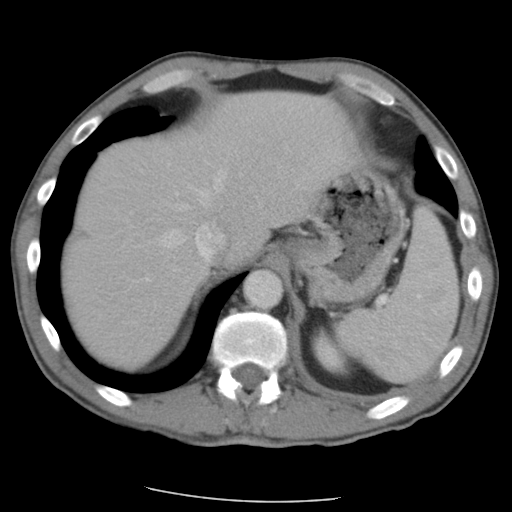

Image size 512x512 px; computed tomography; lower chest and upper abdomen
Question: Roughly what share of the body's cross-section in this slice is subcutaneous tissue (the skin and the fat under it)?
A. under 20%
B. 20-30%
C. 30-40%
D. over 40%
Answer: A. under 20%
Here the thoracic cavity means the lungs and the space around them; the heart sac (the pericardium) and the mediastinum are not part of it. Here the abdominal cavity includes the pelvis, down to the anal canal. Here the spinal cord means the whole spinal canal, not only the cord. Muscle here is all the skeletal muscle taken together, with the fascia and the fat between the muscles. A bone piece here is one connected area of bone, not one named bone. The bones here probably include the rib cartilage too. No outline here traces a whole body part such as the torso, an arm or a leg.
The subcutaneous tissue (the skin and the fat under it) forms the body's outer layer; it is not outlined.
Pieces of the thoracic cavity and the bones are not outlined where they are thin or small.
{"thoracic_cavity":[[[136,107],[171,120],[102,147],[83,175],[57,270],[61,306],[73,337],[103,368],[132,377],[155,375],[186,351],[208,296],[246,273],[219,311],[201,367],[180,385],[153,392],[126,392],[84,373],[62,346],[37,293],[42,214],[63,160],[105,118]],[[423,135],[425,136],[436,161],[449,179],[453,187],[456,195],[458,206],[458,214],[456,217],[448,211],[445,207],[438,203],[437,201],[423,193],[420,193],[416,189],[415,185],[416,170],[414,167],[414,156],[416,151],[417,139],[418,137],[421,137]],[[304,378],[313,384],[316,388],[319,388],[320,390],[323,390],[324,392],[327,392],[330,394],[335,394],[338,396],[347,396],[350,398],[355,398],[357,400],[364,400],[365,401],[366,400],[382,400],[371,402],[347,403],[319,393],[310,387],[306,383]]],"muscle":[{"outer":[[185,56],[202,57],[203,58],[222,60],[223,61],[231,61],[232,62],[251,62],[252,63],[271,63],[272,64],[287,63],[288,62],[300,62],[301,61],[316,61],[317,62],[319,61],[342,61],[343,62],[350,62],[355,64],[359,64],[381,74],[395,84],[429,118],[444,136],[459,159],[469,180],[477,201],[479,215],[483,227],[488,254],[493,269],[493,286],[482,335],[473,359],[461,378],[439,401],[406,418],[390,422],[371,429],[358,431],[354,433],[336,437],[288,439],[283,437],[270,437],[263,435],[261,436],[249,435],[248,436],[247,435],[241,435],[239,433],[231,433],[230,432],[221,435],[208,434],[203,432],[198,435],[188,435],[187,434],[177,433],[155,426],[149,426],[148,425],[133,423],[102,409],[80,395],[69,386],[63,383],[45,363],[34,343],[24,316],[21,303],[20,289],[19,288],[19,278],[18,277],[18,271],[15,257],[16,235],[18,231],[21,216],[29,195],[37,181],[42,168],[46,163],[52,151],[69,130],[86,113],[117,89],[153,66],[172,58],[184,57]],"hole":[[184,68],[193,72],[185,83],[187,86],[271,69],[317,83],[339,82],[338,74],[352,73],[390,93],[395,104],[389,107],[411,120],[431,148],[434,144],[439,145],[454,159],[458,175],[449,180],[457,205],[471,214],[476,226],[472,238],[460,233],[461,261],[466,280],[472,267],[478,268],[482,288],[476,301],[465,288],[453,344],[463,348],[456,364],[443,377],[439,376],[438,367],[419,385],[398,393],[409,398],[401,409],[379,419],[368,418],[367,410],[378,401],[347,403],[319,393],[306,383],[289,355],[286,364],[278,370],[282,393],[268,404],[257,403],[258,393],[245,404],[218,392],[218,365],[207,357],[201,367],[180,385],[162,391],[127,392],[132,403],[118,406],[97,392],[95,387],[100,383],[84,373],[62,346],[56,351],[50,344],[40,322],[43,312],[37,293],[37,273],[29,271],[26,259],[30,241],[40,237],[44,207],[37,201],[38,189],[49,178],[58,177],[63,160],[74,147],[71,138],[84,121],[97,114],[106,118],[130,100],[149,95],[142,89],[144,84],[162,74]]}],"spinal_cord":[[[248,362],[250,363],[253,363],[256,365],[258,365],[267,371],[267,376],[266,378],[264,379],[255,389],[253,389],[252,390],[250,389],[245,389],[244,388],[243,384],[237,380],[232,374],[232,370],[235,367],[239,365],[241,365],[244,363],[247,363]]],"mediastinum":[[[260,267],[272,268],[279,272],[285,281],[287,293],[289,296],[289,304],[291,306],[291,313],[287,318],[287,329],[286,330],[282,322],[275,316],[267,312],[257,310],[235,311],[227,314],[217,323],[221,309],[246,276],[246,274],[253,270],[254,268]],[[371,98],[377,103],[383,106],[389,107],[407,117],[423,133],[421,136],[418,136],[416,139],[415,151],[413,156],[413,164],[411,166],[405,162],[400,161],[397,159],[394,159],[388,156],[375,143],[367,123],[367,107],[369,100]],[[180,84],[185,84],[191,88],[193,90],[195,97],[193,103],[188,109],[184,112],[175,116],[170,116],[169,115],[161,116],[155,110],[144,106],[136,106],[116,111],[118,108],[130,100],[133,100],[140,96],[156,94],[161,92],[164,88],[168,90]]],"abdominal_cavity":[[[271,69],[369,97],[376,146],[413,165],[415,189],[458,218],[466,284],[457,335],[419,385],[365,400],[316,387],[294,361],[286,281],[267,266],[216,287],[185,351],[155,374],[103,367],[74,337],[60,252],[96,153],[167,126],[194,103],[189,86]]],"bones":[{"outer":[[244,311],[264,312],[275,317],[281,322],[287,333],[288,359],[286,364],[278,370],[278,384],[282,393],[275,401],[268,404],[257,403],[258,393],[245,404],[240,399],[234,401],[218,392],[216,385],[219,376],[218,365],[208,358],[218,322],[229,314]],"hole":[[248,362],[250,363],[253,363],[256,365],[258,365],[267,371],[267,376],[266,378],[264,379],[255,389],[253,389],[252,390],[250,389],[245,389],[244,388],[243,384],[237,380],[232,374],[232,370],[235,367],[239,365],[241,365],[244,363],[247,363]]},[[342,72],[352,73],[360,77],[368,79],[373,83],[379,86],[382,89],[390,93],[395,99],[395,104],[392,106],[386,106],[385,105],[383,105],[377,102],[372,97],[370,97],[364,93],[362,93],[353,87],[350,87],[342,83],[338,78],[338,74]],[[184,68],[191,69],[193,72],[192,77],[185,83],[180,83],[168,89],[164,87],[161,91],[156,93],[151,93],[150,94],[145,92],[142,89],[142,87],[144,84],[147,83],[154,78],[162,74],[169,72],[172,70],[175,70],[176,69],[183,69]],[[395,395],[405,395],[409,398],[409,401],[408,403],[401,409],[398,410],[394,413],[392,413],[385,417],[383,417],[379,419],[374,419],[373,418],[368,418],[366,416],[366,412],[369,408],[372,407],[377,403],[387,398],[392,397]],[[434,144],[439,145],[443,147],[445,149],[446,149],[449,152],[449,153],[454,159],[456,163],[456,165],[457,166],[457,170],[458,171],[458,175],[455,179],[450,179],[444,172],[441,166],[437,161],[433,153],[433,151],[432,150],[432,145]],[[98,384],[102,384],[103,385],[106,385],[112,388],[114,388],[115,389],[117,389],[118,390],[120,390],[121,391],[125,392],[132,400],[132,403],[128,406],[118,406],[117,405],[113,404],[111,402],[105,399],[97,392],[95,387],[96,385]],[[97,114],[100,114],[104,118],[103,120],[99,124],[99,125],[83,141],[82,141],[77,145],[75,145],[74,146],[71,143],[71,138],[74,132],[76,130],[76,129],[84,121],[90,118],[92,116],[94,115],[96,115]],[[455,345],[461,345],[462,346],[463,348],[462,353],[459,359],[457,361],[456,364],[452,368],[452,369],[446,375],[445,375],[441,378],[439,376],[439,365],[440,364],[440,362],[442,360],[444,356],[450,350],[450,349]],[[474,266],[476,266],[478,268],[478,269],[480,271],[480,273],[482,277],[482,288],[481,289],[480,295],[478,299],[476,301],[474,301],[470,297],[470,296],[467,292],[467,288],[466,287],[466,285],[467,284],[467,277],[468,276],[468,274],[472,267]],[[35,237],[38,237],[39,238],[39,245],[40,246],[40,258],[39,259],[39,264],[37,268],[37,271],[35,273],[31,273],[28,269],[28,266],[27,265],[27,260],[26,259],[26,253],[27,252],[27,248],[28,247],[28,245],[30,241],[33,238]],[[41,314],[43,314],[49,320],[49,321],[54,327],[54,328],[59,337],[59,339],[60,340],[60,343],[61,344],[61,348],[58,351],[56,351],[50,344],[50,343],[49,342],[49,341],[48,340],[48,339],[41,326],[41,323],[40,322],[40,315]],[[459,209],[463,209],[467,211],[469,213],[470,213],[473,217],[473,219],[475,222],[475,225],[476,226],[476,232],[475,233],[475,235],[472,238],[467,238],[462,232],[462,230],[460,226],[460,222],[459,221],[459,218],[458,217],[458,215],[459,214]],[[54,176],[56,177],[56,182],[55,183],[54,188],[48,200],[46,202],[46,203],[43,206],[42,206],[38,203],[37,201],[37,198],[36,197],[37,196],[37,192],[38,191],[38,189],[40,187],[40,186],[46,180]]]}